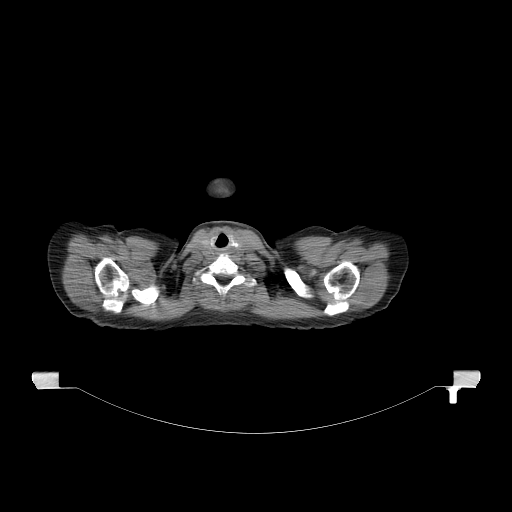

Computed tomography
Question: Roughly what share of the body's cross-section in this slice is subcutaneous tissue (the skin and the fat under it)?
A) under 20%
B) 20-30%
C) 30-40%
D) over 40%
Answer: C) 30-40%
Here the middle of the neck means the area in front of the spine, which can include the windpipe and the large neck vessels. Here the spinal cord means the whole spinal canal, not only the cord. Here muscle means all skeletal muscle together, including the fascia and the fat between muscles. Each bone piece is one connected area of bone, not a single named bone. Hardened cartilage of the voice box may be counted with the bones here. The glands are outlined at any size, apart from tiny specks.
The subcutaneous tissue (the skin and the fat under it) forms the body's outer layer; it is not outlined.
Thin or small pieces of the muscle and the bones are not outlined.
{"spinal_cord":[[[218,274],[226,274],[227,275],[230,275],[231,276],[231,278],[226,283],[225,283],[224,284],[223,284],[222,283],[221,283],[217,279],[217,278],[215,276],[216,275],[217,275]]],"bones":[[[343,260],[349,260],[358,267],[360,274],[359,275],[359,283],[355,291],[347,299],[347,301],[349,304],[347,310],[345,312],[339,314],[328,316],[323,313],[323,310],[326,305],[326,303],[328,301],[328,297],[330,296],[323,284],[323,277],[327,271]],[[103,257],[110,257],[127,274],[129,279],[129,288],[127,291],[127,297],[126,298],[126,300],[124,302],[121,312],[118,314],[116,314],[111,311],[105,311],[103,309],[102,307],[102,303],[104,299],[104,296],[100,292],[95,282],[94,267],[95,265]],{"outer":[[222,253],[226,253],[230,256],[230,258],[237,264],[238,269],[241,273],[245,276],[255,278],[257,282],[256,285],[249,287],[243,283],[237,284],[231,287],[226,294],[222,296],[210,284],[200,281],[194,283],[192,279],[195,276],[195,272],[207,266]],"hole":[[218,274],[226,274],[227,275],[230,275],[231,276],[231,278],[226,283],[225,283],[224,284],[223,284],[222,283],[221,283],[217,279],[217,278],[215,276],[216,275],[217,275]]},[[285,266],[288,266],[292,269],[295,270],[298,273],[301,279],[309,286],[310,288],[310,291],[314,295],[314,296],[312,298],[304,298],[303,297],[301,297],[299,296],[294,291],[294,290],[286,280],[285,278],[285,276],[283,273],[283,268]],[[151,284],[156,284],[159,287],[159,294],[156,300],[153,304],[150,304],[149,305],[145,305],[144,304],[142,304],[136,301],[133,298],[133,296],[131,294],[131,289],[133,288],[137,288],[141,290],[142,289],[144,289],[148,287]]],"head_and_neck":[[[216,176],[227,176],[231,178],[236,183],[236,185],[237,186],[237,192],[235,194],[235,195],[233,195],[231,197],[228,197],[224,199],[215,199],[214,198],[209,197],[207,195],[206,195],[206,194],[204,192],[204,186],[206,182],[211,178],[215,177]]],"left_arm":[[[361,222],[376,227],[395,229],[405,238],[409,249],[409,265],[399,291],[386,308],[376,312],[371,316],[355,313],[334,304],[326,304],[316,300],[309,293],[307,286],[288,266],[273,246],[274,237],[310,225],[320,225],[334,231],[342,231],[356,223]]],"muscle":[{"outer":[[224,224],[253,231],[283,265],[294,263],[292,243],[304,236],[386,242],[391,253],[387,288],[372,306],[346,312],[361,274],[355,263],[343,259],[322,277],[329,296],[325,316],[268,319],[247,310],[195,307],[175,319],[152,321],[119,314],[130,279],[110,256],[103,256],[93,274],[104,311],[83,309],[71,301],[61,280],[71,234],[135,235],[159,242],[155,271],[174,292],[178,283],[168,270],[193,234]],"holes":[[[219,230],[230,232],[241,242],[243,252],[232,254],[230,258],[237,264],[241,273],[256,279],[256,285],[249,287],[243,283],[237,284],[222,296],[212,285],[192,281],[197,270],[207,266],[216,258],[213,255],[204,255],[200,251],[201,239],[209,237]],[[285,266],[288,266],[292,269],[295,270],[298,273],[301,279],[309,286],[310,288],[310,291],[314,295],[314,296],[312,298],[304,298],[303,297],[301,297],[299,296],[294,291],[294,290],[286,280],[285,278],[285,276],[283,273],[283,268]],[[151,284],[156,284],[159,287],[159,294],[156,300],[153,304],[150,304],[149,305],[145,305],[144,304],[142,304],[136,301],[133,298],[133,296],[131,294],[131,289],[133,288],[137,288],[141,290],[142,289],[144,289],[148,287]],[[268,274],[272,274],[273,275],[278,275],[279,276],[280,276],[287,284],[289,289],[286,290],[285,289],[283,289],[282,288],[279,288],[278,287],[272,287],[271,286],[269,286],[269,285],[268,284],[268,282],[267,281],[267,277],[268,276]]]}],"torso":[[[210,220],[239,221],[255,227],[316,301],[368,317],[350,324],[323,329],[300,330],[258,325],[212,325],[155,331],[101,327],[88,319],[74,316],[66,308],[79,309],[100,302],[127,300],[141,294],[156,281],[166,264],[183,245],[192,228]]],"middle_of_the_neck":[[[219,230],[225,230],[233,234],[237,241],[233,240],[230,243],[231,245],[236,248],[243,247],[244,249],[243,252],[239,254],[231,255],[226,252],[222,252],[216,256],[204,255],[200,251],[201,246],[206,250],[209,249],[210,248],[209,237],[214,232]]],"thyroid_glands":[[[206,236],[207,237],[208,237],[209,238],[209,248],[208,248],[207,249],[206,249],[205,248],[204,248],[203,247],[203,246],[201,244],[201,243],[200,242],[200,241],[201,240],[201,239],[202,238],[203,238],[204,237],[205,237]],[[238,240],[239,240],[240,241],[241,242],[241,243],[241,244],[241,245],[241,246],[240,247],[239,247],[238,247],[238,246],[239,245],[239,244],[238,243],[238,242],[238,241]]],"right_arm":[[[71,218],[78,218],[91,224],[113,223],[118,230],[144,227],[150,230],[164,232],[179,237],[178,248],[174,255],[165,264],[155,281],[138,295],[127,299],[100,301],[79,308],[65,307],[52,287],[46,260],[46,250],[49,238],[54,229],[60,223]]]}